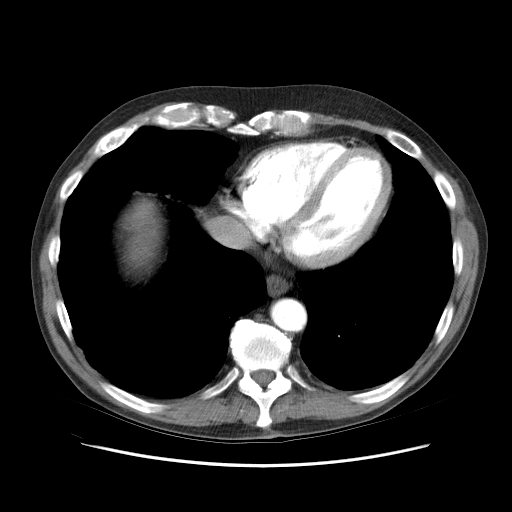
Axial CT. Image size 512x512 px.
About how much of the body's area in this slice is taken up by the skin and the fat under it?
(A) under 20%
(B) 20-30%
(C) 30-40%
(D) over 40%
(A) under 20%
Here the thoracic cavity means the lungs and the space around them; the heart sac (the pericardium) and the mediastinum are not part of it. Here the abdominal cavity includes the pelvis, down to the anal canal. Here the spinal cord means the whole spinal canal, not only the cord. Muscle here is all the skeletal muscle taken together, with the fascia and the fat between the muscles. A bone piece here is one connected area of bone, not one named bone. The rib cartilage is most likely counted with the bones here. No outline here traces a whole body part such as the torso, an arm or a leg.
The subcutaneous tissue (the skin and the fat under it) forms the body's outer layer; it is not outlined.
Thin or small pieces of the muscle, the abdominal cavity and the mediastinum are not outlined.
The muscle appears in 5 outlined pieces: piece 1: [[422,149],[440,169],[445,170],[457,180],[467,205],[469,217],[477,232],[479,245],[478,269],[470,303],[459,329],[429,369],[416,382],[383,405],[353,417],[339,419],[290,418],[265,428],[272,423],[270,415],[272,404],[278,397],[290,392],[293,388],[293,383],[309,391],[314,389],[303,376],[313,378],[336,389],[361,391],[350,394],[348,399],[354,403],[373,404],[388,398],[406,383],[410,378],[407,370],[420,357],[433,336],[436,345],[444,338],[455,310],[454,303],[449,298],[454,275],[458,276],[462,271],[464,248],[461,240],[457,236],[452,239],[448,209],[452,210],[456,207],[456,196],[453,187],[439,170],[435,170],[432,177],[428,173],[418,160],[423,156]]; piece 2: [[61,184],[59,199],[65,203],[59,233],[51,237],[47,249],[49,263],[57,271],[62,295],[55,300],[55,310],[67,339],[76,342],[88,363],[108,381],[99,382],[102,389],[139,412],[156,414],[168,405],[151,400],[181,398],[205,387],[198,396],[206,400],[236,382],[237,390],[258,406],[256,426],[241,421],[190,426],[141,416],[104,398],[64,361],[52,342],[43,315],[39,269],[40,252],[52,223],[53,202]]; piece 3: [[307,111],[315,111],[325,114],[337,114],[348,118],[361,119],[375,125],[385,126],[394,129],[386,128],[383,131],[383,136],[380,134],[373,134],[366,131],[362,131],[359,129],[343,125],[320,126],[310,130],[312,124],[315,121],[311,113],[309,111]]; piece 4: [[97,140],[92,150],[92,155],[96,158],[97,158],[97,159],[90,166],[88,170],[85,173],[84,173],[84,172],[81,169],[78,169],[74,171],[72,173],[71,173],[67,176],[69,171],[73,167],[74,167],[82,159],[85,153],[89,149],[89,148]]; piece 5: [[165,102],[178,102],[175,102],[174,103],[171,103],[170,104],[167,104],[165,105],[157,113],[154,114],[152,116],[145,115],[138,121],[135,121],[128,125],[120,125],[124,123],[133,116],[141,112],[143,112],[152,107],[154,107],[159,104],[161,104]]. The bones appear in 11 outlined pieces: piece 1: [[241,318],[268,324],[289,338],[292,345],[289,360],[313,388],[309,390],[293,382],[291,390],[278,396],[271,404],[271,423],[265,427],[256,425],[259,406],[250,396],[238,390],[236,381],[214,396],[206,399],[199,396],[235,364],[229,348],[229,334]]; inner edge: [[257,370],[269,370],[270,371],[272,371],[273,372],[273,373],[274,374],[274,376],[273,377],[273,378],[265,386],[262,386],[261,385],[260,385],[252,377],[252,373],[253,372],[254,372],[255,371],[256,371]]; piece 2: [[179,102],[225,108],[234,113],[236,122],[246,123],[258,113],[284,109],[309,112],[314,121],[302,135],[276,135],[272,131],[246,135],[209,124],[170,129],[149,123],[139,127],[118,147],[96,157],[94,147],[109,131],[145,116],[152,117],[165,106]]; piece 3: [[100,382],[108,382],[116,386],[118,388],[122,389],[138,397],[140,397],[143,399],[145,399],[151,402],[162,403],[163,404],[167,405],[167,406],[160,412],[157,412],[156,413],[145,413],[144,412],[139,411],[114,398],[103,389],[103,388],[100,384]]; piece 4: [[406,371],[407,372],[407,374],[409,376],[409,378],[405,382],[405,383],[394,393],[380,401],[377,401],[373,403],[359,403],[358,402],[351,401],[349,399],[349,396],[354,393],[362,392],[363,391],[367,391],[368,390],[376,388],[390,381],[395,377]]; piece 5: [[386,129],[391,129],[392,130],[395,130],[396,131],[398,131],[406,135],[408,137],[409,137],[419,146],[422,152],[422,156],[419,159],[417,159],[407,154],[405,152],[400,150],[398,148],[394,146],[384,137],[384,131]]; piece 6: [[437,170],[441,173],[442,173],[442,174],[450,183],[450,184],[452,187],[452,189],[453,190],[453,192],[454,193],[454,195],[455,196],[455,207],[452,209],[450,209],[447,207],[436,184],[434,182],[434,180],[433,179],[433,175],[434,174],[434,172]]; piece 7: [[449,300],[450,300],[453,303],[453,305],[454,306],[453,314],[452,315],[452,317],[451,318],[449,326],[443,338],[438,344],[436,344],[435,342],[435,337],[434,336],[434,332],[438,324],[438,322],[441,317],[441,315],[443,312],[443,310],[446,304]]; piece 8: [[57,299],[62,299],[63,300],[64,305],[66,308],[66,310],[69,317],[69,320],[72,327],[72,334],[74,338],[74,339],[72,341],[70,341],[68,339],[60,323],[60,321],[57,314],[57,311],[56,310],[56,300]]; piece 9: [[78,170],[81,170],[83,172],[83,175],[82,177],[78,182],[77,185],[75,187],[73,191],[67,198],[67,199],[65,201],[61,201],[60,199],[60,190],[61,189],[61,186],[63,182],[68,176],[69,176],[71,174],[72,174],[74,172]]; piece 10: [[456,237],[457,237],[460,240],[462,244],[462,247],[463,248],[463,259],[462,260],[462,267],[461,268],[461,271],[458,275],[456,275],[454,274],[454,268],[453,267],[453,260],[452,259],[452,246],[453,245],[453,240],[454,238]]; piece 11: [[57,234],[59,234],[59,237],[60,238],[60,248],[59,249],[59,259],[58,260],[58,262],[57,263],[56,267],[54,268],[51,265],[50,261],[49,260],[49,257],[48,256],[48,249],[49,248],[49,244],[50,243],[50,241],[52,237]]. The thoracic cavity appears in 2 outlined pieces: piece 1: [[148,125],[209,131],[237,144],[236,155],[209,201],[187,205],[207,235],[243,251],[260,265],[266,290],[263,303],[240,315],[230,328],[228,348],[234,364],[219,380],[185,396],[150,400],[109,382],[89,363],[75,340],[57,270],[66,201],[98,158]] with a hole at [[136,190],[142,192],[157,192],[159,194],[161,201],[166,206],[167,215],[170,220],[171,236],[169,241],[169,254],[167,261],[153,280],[148,285],[141,288],[126,287],[122,283],[116,272],[114,257],[110,246],[111,224],[118,211],[130,197],[130,194]]; piece 2: [[374,135],[382,136],[416,159],[432,178],[447,208],[453,280],[433,335],[413,364],[376,387],[346,390],[301,374],[290,360],[291,352],[299,350],[308,324],[308,311],[299,294],[301,287],[296,275],[322,270],[351,258],[377,233],[396,191],[392,164]]. The spinal cord is outlined by [[257,370],[269,370],[270,371],[272,371],[273,372],[273,373],[274,374],[274,376],[273,377],[273,378],[265,386],[262,386],[261,385],[260,385],[252,377],[252,373],[253,372],[254,372],[255,371],[256,371]]. The mediastinum is outlined by [[209,126],[246,136],[343,126],[372,134],[383,151],[348,135],[272,139],[250,151],[215,194],[217,208],[261,246],[308,272],[295,275],[307,311],[298,350],[276,327],[239,318],[266,299],[263,268],[194,219],[192,210],[210,201],[239,149],[199,129]]. The abdominal cavity is outlined by [[136,190],[142,192],[157,192],[159,194],[161,201],[166,206],[167,215],[170,220],[171,236],[169,241],[169,254],[167,261],[153,280],[148,285],[141,288],[126,287],[122,283],[116,272],[114,257],[110,246],[111,224],[118,211],[130,197],[130,194]]. The pericardium is outlined by [[304,136],[348,136],[375,146],[391,166],[393,185],[393,193],[387,211],[373,237],[362,245],[351,257],[337,264],[309,271],[295,268],[261,245],[244,223],[235,216],[219,209],[216,201],[216,194],[220,188],[234,173],[242,160],[254,149],[272,140]].